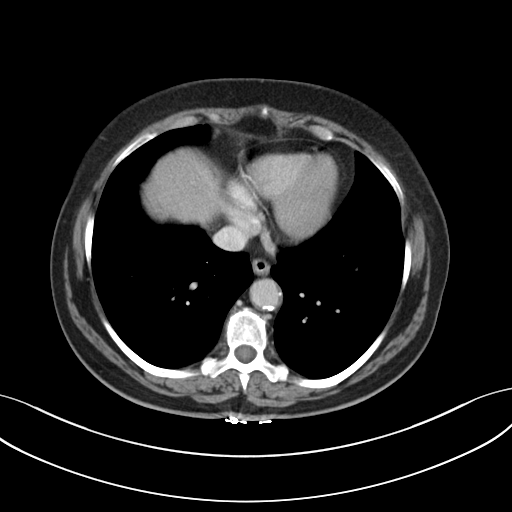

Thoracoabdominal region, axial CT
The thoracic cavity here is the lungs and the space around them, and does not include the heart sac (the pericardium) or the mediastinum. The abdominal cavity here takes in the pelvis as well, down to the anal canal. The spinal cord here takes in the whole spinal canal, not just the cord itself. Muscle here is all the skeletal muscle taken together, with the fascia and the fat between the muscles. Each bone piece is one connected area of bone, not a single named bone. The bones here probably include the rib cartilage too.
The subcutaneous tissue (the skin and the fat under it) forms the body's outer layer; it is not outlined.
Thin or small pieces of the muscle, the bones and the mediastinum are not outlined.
Outlined structures:
muscle 1: 256,104 266,104 274,108 285,111 311,113 332,120 342,125 366,140 389,162 393,169 396,172 397,175 400,178 406,189 406,191 413,201 414,204 418,208 418,210 423,220 424,229 429,246 430,260 431,261 430,262 431,265 430,266 430,282 429,283 429,290 428,291 426,311 423,321 419,329 416,332 415,336 409,343 397,354 387,362 380,366 374,372 363,379 344,388 339,392 322,398 313,399 312,400 302,400 287,406 276,407 275,406 258,406 248,401 243,395 235,396 217,403 204,403 203,402 198,402 189,398 185,398 179,396 170,396 156,392 141,384 102,354 83,335 73,322 70,316 66,303 66,294 65,293 65,286 64,285 64,256 65,255 66,244 69,235 69,231 70,230 72,219 83,197 103,167 121,147 147,125 155,121 162,119 170,114 184,109 189,109 196,107 232,107 233,108 237,108 238,107 249,106; inner edges: 263,107 267,118 282,128 307,132 313,124 326,127 336,141 379,158 399,184 403,193 401,230 410,242 411,264 405,287 398,292 383,327 387,332 360,367 330,387 272,382 254,370 244,393 234,368 214,378 153,375 119,348 101,321 100,315 106,314 85,254 87,218 96,214 114,161 141,134 188,115 195,116 198,124 229,126 245,117 259,117, then 208,112 213,112 214,113 216,113 217,114 218,114 220,116 220,121 219,121 218,122 215,122 214,121 213,121 212,120 211,120 210,119 209,119 205,115 205,114 206,113 207,113
muscle 2: 223,333 223,337 224,338 224,341 225,342 225,344 227,346 227,350 226,351 225,354 223,356 222,356 221,357 218,357 217,356 212,355 213,352 215,350 215,349 217,347 218,344 222,339 222,336 223,335
muscle 3: 268,330 270,330 270,332 269,333 269,339 270,340 270,341 271,342 271,344 273,347 274,352 275,353 277,358 280,362 274,362 273,361 270,360 266,354 266,350 268,347 268,343 269,342 269,335 268,334
abdominal cavity: 204,143 213,147 219,152 222,155 227,165 221,177 221,187 219,192 220,215 226,222 217,228 207,231 205,231 196,225 155,223 146,215 140,204 138,192 140,183 146,177 156,160 169,150 181,145 203,144
pericardium: 283,138 309,139 327,146 338,154 345,166 346,188 336,212 321,229 314,235 297,245 280,247 276,254 274,256 272,256 238,227 224,219 221,215 220,210 220,192 222,187 222,177 225,171 241,151 258,143
bones 1: 243,307 266,318 265,354 285,364 290,378 335,375 384,328 387,332 370,357 333,386 272,382 254,370 244,393 234,368 214,378 145,371 119,348 100,318 147,362 197,369 205,357 226,354 224,325 232,311; inner edge: 242,345 247,345 248,346 249,346 250,347 251,347 253,349 254,349 254,350 255,351 255,356 251,360 250,360 248,362 243,362 242,361 241,361 240,360 239,360 235,355 235,350 239,346 241,346
bones 2: 188,115 195,116 198,119 197,123 193,125 189,125 183,127 171,128 161,132 134,150 112,169 112,165 117,157 124,150 124,149 138,136 146,132 150,132 154,130 159,130 165,127 174,120
bones 3: 365,153 368,153 375,157 379,158 391,171 391,172 395,177 397,182 399,184 399,186 403,193 403,204 402,205 400,204 400,202 392,186 389,183 389,182 386,179 383,174 378,169 378,168 365,155
bones 4: 90,213 93,213 94,214 94,221 93,222 93,232 92,233 92,238 91,239 91,269 90,269 88,267 88,265 86,261 86,255 85,254 85,242 84,241 84,231 85,230 85,226 86,225 87,218
bones 5: 407,238 409,240 410,242 410,245 411,246 411,264 410,265 410,268 409,269 409,275 408,276 405,287 404,289 401,291 400,290 400,287 401,286 401,282 402,281 402,274 403,273 403,263 404,262 405,239
bones 6: 313,124 315,124 316,125 320,125 321,126 326,127 328,129 329,129 334,134 334,139 333,139 332,140 323,140 322,139 320,139 316,136 313,135 310,132 309,132 308,131 308,127 310,125 312,125
torso: 211,77 307,81 363,100 402,133 435,191 447,223 450,262 433,333 407,372 364,401 327,413 269,421 166,413 135,404 104,386 78,360 61,331 50,291 49,251 60,206 82,155 98,132 132,102 174,84
thoracic cavity 1: 205,123 211,129 207,141 178,145 155,160 138,185 139,204 155,224 196,226 222,250 245,252 253,278 229,309 221,339 211,355 181,368 162,367 136,353 106,316 92,273 95,215 110,175 125,158 165,131
thoracic cavity 2: 356,150 382,174 399,202 404,238 399,291 383,328 353,362 335,374 309,378 290,370 285,363 281,362 270,339 275,318 284,301 283,290 270,271 277,262 276,255 280,248 294,247 311,238 337,212 355,179
spinal cord: 242,345 247,345 248,346 249,346 250,347 251,347 253,349 254,349 254,350 255,351 255,356 251,360 250,360 248,362 243,362 242,361 241,361 240,360 239,360 235,355 235,350 239,346 241,346
mediastinum 1: 227,222 276,258 276,262 269,271 271,277 282,290 283,301 274,318 271,330 267,327 267,318 249,306 234,309 229,313 239,296 252,283 254,274 249,255 245,251 222,249 212,241 206,232 217,229
mediastinum 2: 245,117 269,119 282,128 303,130 320,140 343,142 355,149 354,179 343,200 347,188 346,166 343,160 338,153 327,145 309,138 283,137 258,142 241,150 228,165 219,151 205,143 211,135 210,124 229,126